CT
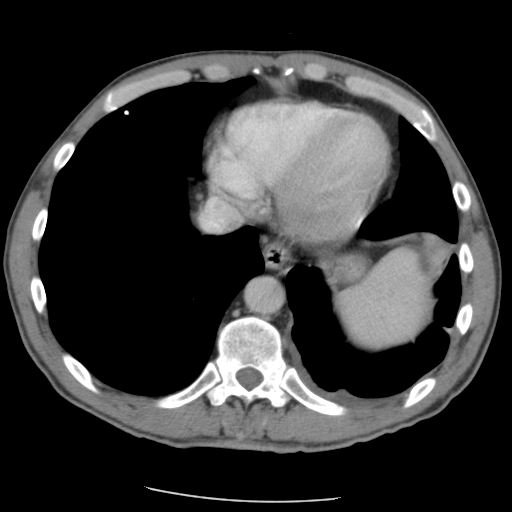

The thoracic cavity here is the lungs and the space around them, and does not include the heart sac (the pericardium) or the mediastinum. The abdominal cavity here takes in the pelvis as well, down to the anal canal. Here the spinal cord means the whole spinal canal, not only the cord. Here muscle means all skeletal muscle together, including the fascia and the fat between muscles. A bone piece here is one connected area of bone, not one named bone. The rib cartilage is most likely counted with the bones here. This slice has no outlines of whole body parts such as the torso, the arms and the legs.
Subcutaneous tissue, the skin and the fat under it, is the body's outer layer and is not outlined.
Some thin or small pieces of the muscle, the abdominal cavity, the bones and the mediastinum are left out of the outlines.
Outlines (x, y in pixels):
bones 1: [[245,316],[273,325],[280,334],[286,363],[295,368],[302,382],[348,411],[344,415],[328,415],[292,397],[283,406],[275,407],[267,398],[246,404],[230,395],[213,406],[205,393],[178,407],[156,407],[155,399],[187,387],[199,376],[217,354],[219,330]], around a hole outlined by [[248,367],[250,367],[251,368],[253,368],[257,370],[259,372],[260,372],[260,373],[262,375],[262,380],[257,385],[256,385],[251,389],[247,389],[245,387],[244,387],[239,382],[239,381],[236,377],[236,373],[239,370],[243,368],[247,368]]
bones 2: [[350,75],[364,77],[385,85],[413,101],[420,107],[425,109],[429,113],[433,120],[436,129],[437,140],[432,143],[430,143],[409,121],[399,112],[396,111],[386,103],[384,103],[372,97],[354,94],[344,89],[345,88],[344,79],[345,77]]
bones 3: [[178,69],[187,70],[191,73],[191,78],[189,81],[180,84],[159,87],[153,89],[132,99],[125,104],[106,114],[102,110],[102,102],[103,99],[105,95],[110,90],[119,88],[121,86],[123,86],[128,83],[144,78],[147,78],[159,73],[177,70]]
bones 4: [[64,352],[68,352],[78,361],[79,361],[89,371],[89,372],[93,377],[93,381],[94,382],[94,384],[99,390],[99,393],[95,393],[85,387],[82,384],[81,384],[71,374],[71,373],[67,369],[66,366],[64,364],[62,360],[62,354]]
bones 5: [[430,376],[432,377],[434,377],[436,379],[436,382],[433,388],[423,398],[422,398],[419,401],[418,401],[416,403],[406,408],[403,408],[402,407],[402,405],[404,402],[404,400],[410,388],[415,383],[416,383],[421,379],[425,377],[429,377]]
bones 6: [[35,275],[38,275],[40,277],[41,281],[43,284],[43,287],[45,292],[45,296],[46,297],[46,308],[45,309],[45,311],[41,314],[38,313],[35,308],[35,306],[31,296],[31,292],[30,291],[30,282],[31,281],[31,278]]
bones 7: [[455,180],[458,180],[459,181],[461,181],[466,186],[469,192],[469,194],[470,195],[470,198],[471,199],[471,204],[470,205],[469,209],[465,212],[463,212],[459,210],[457,208],[455,200],[453,197],[453,194],[452,193],[452,186],[451,184]]
bones 8: [[467,302],[471,303],[472,305],[472,317],[471,318],[471,321],[470,322],[470,324],[466,332],[463,335],[461,335],[459,333],[458,330],[454,326],[454,323],[455,322],[455,320],[456,319],[456,316],[457,315],[457,313],[458,312],[458,310],[460,306]]
bones 9: [[68,141],[73,141],[76,144],[76,146],[71,156],[69,158],[67,162],[59,170],[59,171],[56,172],[53,168],[53,160],[54,159],[54,157],[56,153],[58,151],[58,150],[61,147],[61,146],[64,143]]
bones 10: [[212,64],[219,64],[220,65],[222,65],[226,67],[228,69],[228,71],[229,72],[229,77],[228,79],[226,79],[222,81],[210,81],[208,80],[203,75],[201,70],[203,67],[205,66],[207,66],[208,65],[211,65]]
bones 11: [[464,241],[469,245],[469,247],[470,248],[470,250],[472,253],[472,256],[473,257],[473,267],[471,271],[468,273],[464,273],[463,272],[461,272],[460,270],[460,268],[459,267],[459,261],[458,260],[458,255],[457,254],[459,250],[459,247],[461,243]]
bones 12: [[310,62],[313,62],[314,63],[318,63],[319,64],[321,64],[325,66],[325,67],[327,69],[327,76],[322,80],[314,80],[313,79],[308,79],[307,78],[304,78],[302,76],[302,73],[303,72],[303,68],[304,66],[307,63],[309,63]]
bones 13: [[43,207],[46,207],[47,208],[47,219],[46,220],[46,224],[45,225],[45,229],[44,230],[43,235],[42,236],[40,241],[39,242],[37,242],[36,241],[35,241],[32,237],[32,227],[33,226],[33,223],[34,222],[35,217],[37,215],[38,212]]
thoracic cavity 1: [[242,76],[254,82],[215,112],[202,136],[200,174],[186,178],[187,216],[201,235],[255,228],[263,268],[229,302],[218,324],[216,354],[192,382],[158,396],[116,389],[67,351],[50,325],[39,250],[56,176],[86,132],[132,100],[190,81],[222,82]]
thoracic cavity 2: [[402,116],[431,144],[451,186],[459,307],[447,351],[424,377],[387,405],[347,407],[312,391],[284,357],[282,338],[294,324],[286,276],[300,263],[319,269],[337,327],[359,352],[413,344],[433,321],[434,285],[450,244],[425,230],[358,235],[395,191]]
mediastinum 1: [[249,73],[277,93],[243,101],[224,112],[215,120],[209,129],[203,148],[202,163],[203,185],[209,198],[233,204],[246,220],[311,252],[285,276],[293,324],[282,337],[255,315],[218,331],[230,302],[264,268],[258,230],[210,225],[187,197],[187,178],[201,174],[202,140],[206,129],[224,104],[255,82]]
mediastinum 2: [[297,76],[329,83],[351,94],[372,98],[386,104],[401,115],[398,126],[401,161],[399,175],[391,197],[374,209],[378,203],[388,197],[396,173],[395,147],[388,124],[373,109],[361,103],[321,95],[290,93],[288,86],[294,83],[292,82]]
mediastinum 3: [[357,231],[357,235],[360,238],[361,238],[359,240],[359,241],[358,241],[357,242],[357,243],[356,243],[355,244],[355,245],[350,245],[347,247],[341,247],[342,247],[344,245],[347,244],[352,239],[352,238],[354,236],[354,235],[356,233],[356,232]]
pericardium: [[275,94],[321,96],[351,101],[373,110],[389,128],[395,157],[395,173],[389,193],[364,218],[351,239],[340,247],[308,251],[290,245],[287,239],[267,224],[254,223],[246,219],[233,203],[209,197],[206,192],[204,148],[213,124],[224,113],[243,102]]
abdominal cavity 1: [[417,231],[436,234],[449,244],[451,250],[433,285],[437,301],[432,321],[413,343],[377,353],[355,349],[346,343],[332,314],[330,291],[322,272],[304,261],[311,260],[312,252],[318,250],[327,248],[339,250],[338,248],[355,246],[361,239],[384,240]]
abdominal cavity 2: [[187,198],[188,198],[189,201],[191,202],[193,206],[193,209],[197,217],[199,218],[202,222],[206,224],[209,224],[210,226],[215,226],[218,228],[231,228],[231,231],[227,233],[219,234],[218,235],[215,234],[201,234],[192,225],[188,216],[189,205]]
abdominal cavity 3: [[271,68],[277,69],[279,71],[279,74],[284,78],[291,75],[296,76],[295,79],[291,82],[293,83],[290,83],[289,84],[290,85],[287,86],[289,87],[287,88],[289,93],[278,93],[277,91],[278,90],[271,83],[264,79],[262,75],[263,72]]
spinal cord: [[248,367],[250,367],[251,368],[253,368],[257,370],[259,372],[260,372],[260,373],[262,375],[262,380],[257,385],[256,385],[251,389],[247,389],[245,387],[244,387],[239,382],[239,381],[236,377],[236,373],[239,370],[243,368],[247,368]]
muscle: [[286,53],[312,53],[313,54],[317,54],[321,56],[353,64],[374,72],[392,81],[411,93],[423,103],[432,114],[457,156],[465,172],[467,179],[474,191],[481,211],[483,223],[485,226],[489,239],[489,244],[492,252],[494,270],[495,271],[495,297],[494,298],[493,309],[490,321],[485,335],[480,344],[477,353],[469,367],[457,382],[442,397],[439,398],[430,406],[427,407],[421,412],[411,417],[374,430],[369,433],[340,440],[315,443],[314,442],[300,442],[294,440],[274,440],[269,438],[265,438],[264,439],[234,439],[232,437],[228,437],[227,436],[223,437],[200,436],[193,438],[177,438],[176,437],[165,436],[149,431],[145,431],[127,425],[94,408],[87,403],[82,401],[67,390],[46,365],[31,343],[26,332],[22,317],[16,301],[9,270],[9,249],[10,248],[12,232],[18,213],[28,192],[34,184],[34,182],[36,181],[36,177],[42,164],[54,147],[66,137],[79,118],[102,94],[127,77],[160,64],[192,56],[199,56],[207,54],[255,54],[256,55],[270,56],[275,58]] with a hole at [[310,62],[327,69],[322,82],[344,89],[345,77],[364,77],[425,109],[449,182],[469,192],[469,209],[457,210],[457,247],[466,242],[473,257],[471,271],[460,273],[459,302],[471,303],[472,317],[463,335],[451,328],[443,359],[425,375],[436,379],[433,388],[406,408],[405,391],[381,407],[328,415],[292,397],[275,407],[267,398],[246,404],[230,395],[213,406],[203,393],[160,408],[158,396],[94,376],[99,393],[85,387],[64,364],[67,351],[48,309],[38,313],[30,291],[40,275],[41,242],[32,227],[49,207],[58,150],[77,144],[105,115],[105,95],[128,83],[178,69],[207,81],[201,70],[212,64],[226,67],[229,79],[258,66],[293,67],[302,78]]